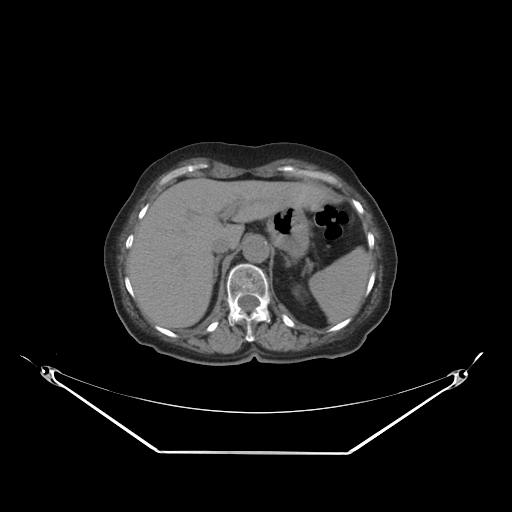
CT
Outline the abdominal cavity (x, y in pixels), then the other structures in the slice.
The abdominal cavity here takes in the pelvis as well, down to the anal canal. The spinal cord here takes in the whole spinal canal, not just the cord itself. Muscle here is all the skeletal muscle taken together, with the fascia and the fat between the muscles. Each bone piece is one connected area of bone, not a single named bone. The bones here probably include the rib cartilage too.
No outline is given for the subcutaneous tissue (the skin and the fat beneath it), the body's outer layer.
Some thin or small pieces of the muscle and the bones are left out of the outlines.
abdominal cavity: (202, 170) (215, 177) (250, 173) (309, 178) (343, 192) (361, 217) (371, 250) (371, 271) (360, 307) (323, 331) (300, 324) (271, 292) (270, 244) (253, 235) (227, 267) (225, 291) (204, 328) (193, 334) (180, 334) (144, 317) (128, 276) (134, 234) (158, 192) (172, 180)
muscle: (194, 157) (206, 157) (242, 168) (294, 158) (315, 164) (342, 178) (365, 200) (380, 233) (383, 267) (381, 295) (372, 312) (342, 338) (312, 348) (273, 351) (252, 342) (255, 340) (254, 324) (271, 321) (270, 290) (286, 313) (280, 314) (282, 322) (290, 328) (296, 325) (290, 317) (315, 332) (335, 332) (345, 327) (374, 286) (376, 271) (372, 270) (371, 251) (375, 237) (365, 229) (361, 216) (365, 212) (362, 204) (355, 198) (350, 200) (339, 188) (341, 183) (328, 173) (285, 164) (277, 166) (276, 170) (291, 175) (263, 176) (244, 172) (235, 176) (215, 176) (204, 169) (188, 173) (209, 167) (206, 162) (198, 162) (174, 168) (164, 175) (158, 184) (165, 185) (139, 210) (135, 231) (124, 241) (125, 248) (129, 249) (124, 285) (129, 295) (135, 299) (143, 317) (154, 324) (157, 331) (171, 338) (178, 338) (178, 334) (193, 335) (205, 328) (208, 333) (214, 331) (219, 321) (210, 322) (226, 292) (228, 324) (232, 326) (243, 321) (246, 329) (244, 339) (247, 342) (233, 353) (201, 353) (165, 341) (142, 328) (122, 302) (116, 262) (119, 237) (130, 214) (151, 183) (181, 161)
spinal cord: (245, 295) (250, 295) (251, 296) (253, 296) (254, 297) (255, 297) (258, 300) (258, 304) (253, 309) (253, 310) (250, 312) (246, 312) (245, 311) (244, 311) (239, 306) (239, 305) (238, 304) (238, 300) (239, 299) (239, 298) (240, 298) (242, 296) (244, 296)
bones 1: (239, 263) (249, 263) (259, 267) (269, 286) (270, 301) (268, 309) (270, 321) (260, 321) (253, 324) (252, 333) (254, 340) (251, 342) (248, 342) (245, 339) (247, 331) (246, 323) (243, 320) (240, 320) (230, 325) (227, 317) (229, 307) (227, 302) (226, 280) (233, 267), around a hole outlined by (245, 295) (250, 295) (251, 296) (253, 296) (254, 297) (255, 297) (258, 300) (258, 304) (253, 309) (253, 310) (250, 312) (246, 312) (245, 311) (244, 311) (239, 306) (239, 305) (238, 304) (238, 300) (239, 299) (239, 298) (240, 298) (242, 296) (244, 296)
bones 2: (285, 165) (291, 165) (300, 169) (305, 169) (312, 171) (320, 171) (334, 177) (341, 185) (339, 187) (337, 187) (332, 184) (330, 184) (325, 181) (322, 181) (319, 179) (315, 179) (309, 177) (298, 177) (292, 175) (288, 172) (279, 171) (277, 170) (277, 167) (284, 166)
bones 3: (198, 163) (206, 163) (208, 165) (208, 167) (206, 168) (196, 169) (192, 172) (188, 172) (183, 175) (181, 175) (172, 179) (166, 184) (163, 185) (160, 185) (159, 184) (159, 182) (161, 179) (174, 169) (186, 165) (189, 165) (190, 164) (193, 165)
bones 4: (350, 317) (351, 318) (351, 320) (345, 326) (344, 326) (343, 327) (342, 327) (340, 329) (339, 329) (338, 330) (336, 330) (335, 331) (327, 331) (327, 330) (329, 328) (332, 327) (334, 325) (335, 325) (336, 324) (337, 324) (338, 323) (345, 320) (347, 318) (349, 318)
bones 5: (372, 271) (375, 271) (375, 279) (374, 280) (374, 283) (373, 284) (373, 286) (372, 287) (370, 292) (368, 294) (368, 295) (365, 296) (365, 295) (366, 294) (366, 288) (367, 287) (367, 285) (368, 284) (368, 281) (369, 280) (369, 278) (370, 277) (370, 274)
bones 6: (154, 325) (158, 325) (163, 328) (165, 328) (168, 330) (170, 330) (171, 331) (174, 332) (176, 334) (177, 334) (178, 335) (178, 337) (171, 337) (170, 336) (168, 336) (167, 335) (166, 335) (165, 334) (164, 334) (163, 333) (160, 332) (158, 330) (157, 330) (154, 327)
bones 7: (125, 276) (127, 276) (129, 278) (129, 281) (131, 284) (131, 287) (133, 290) (133, 292) (134, 293) (134, 295) (135, 296) (135, 298) (133, 298) (130, 295) (130, 294) (128, 292) (128, 291) (126, 288) (126, 286) (125, 285) (125, 282) (124, 281) (124, 278) (125, 277)
bones 8: (283, 313) (284, 313) (285, 314) (286, 314) (294, 322) (294, 324) (295, 325) (293, 327) (290, 327) (289, 326) (288, 326) (287, 325) (286, 325) (283, 322) (283, 321) (282, 320) (282, 318) (281, 317) (281, 314) (282, 314)
bones 9: (352, 199) (355, 199) (356, 200) (357, 200) (361, 204) (361, 205) (362, 206) (362, 207) (363, 208) (363, 209) (364, 210) (364, 212) (362, 214) (360, 214) (357, 211) (357, 210) (356, 209) (356, 208) (353, 205) (353, 204) (352, 203) (352, 202) (351, 201) (351, 200)
bones 10: (213, 321) (218, 321) (218, 325) (216, 327) (216, 328) (214, 330) (213, 330) (212, 331) (210, 331) (209, 332) (208, 332) (207, 331) (206, 331) (206, 327) (210, 323) (211, 323)
bones 11: (147, 203) (148, 203) (149, 204) (148, 205) (148, 207) (147, 208) (147, 209) (146, 210) (146, 211) (145, 212) (145, 213) (144, 214) (143, 217) (141, 219) (139, 219) (138, 218) (138, 214) (139, 213) (140, 210) (145, 205) (145, 204) (146, 204)
torso: (200, 141) (246, 145) (281, 141) (303, 143) (338, 155) (354, 170) (385, 216) (398, 257) (389, 310) (357, 350) (331, 359) (296, 363) (263, 363) (253, 358) (236, 365) (204, 365) (159, 353) (138, 343) (127, 332) (115, 311) (103, 265) (107, 231) (148, 165) (176, 148)
mediastinum: (253, 236) (257, 236) (261, 239) (266, 241) (270, 246) (270, 250) (269, 251) (269, 279) (268, 280) (268, 283) (265, 274) (263, 272) (263, 270) (259, 266) (249, 262) (239, 262) (235, 264) (227, 274) (228, 267) (230, 265) (235, 255) (239, 251) (244, 243)